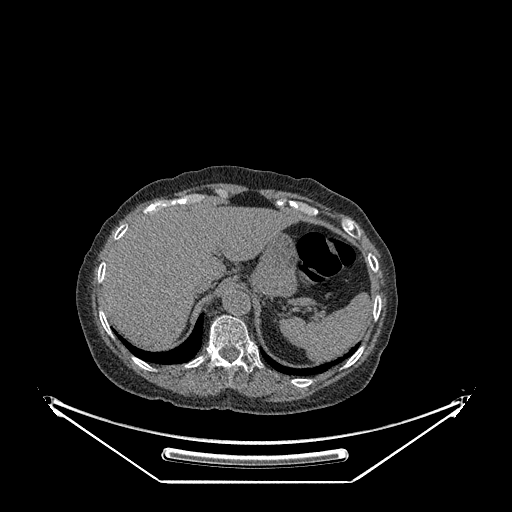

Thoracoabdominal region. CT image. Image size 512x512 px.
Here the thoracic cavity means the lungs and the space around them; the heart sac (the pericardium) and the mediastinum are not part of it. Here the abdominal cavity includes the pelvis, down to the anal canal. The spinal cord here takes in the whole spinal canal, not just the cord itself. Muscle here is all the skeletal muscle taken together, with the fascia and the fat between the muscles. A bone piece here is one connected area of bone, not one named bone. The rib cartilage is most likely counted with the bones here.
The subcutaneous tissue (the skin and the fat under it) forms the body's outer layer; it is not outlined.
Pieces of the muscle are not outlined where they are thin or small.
The thoracic cavity appears in 2 outlined pieces: piece 1: [[201,313],[203,313],[203,333],[205,334],[207,332],[206,342],[203,344],[197,355],[182,363],[172,363],[171,364],[149,363],[133,354],[117,338],[113,331],[114,330],[130,344],[140,350],[143,350],[146,352],[167,352],[179,346],[188,338]]; piece 2: [[360,342],[361,343],[356,350],[344,361],[334,365],[326,371],[317,373],[311,376],[294,376],[274,369],[264,361],[261,357],[259,349],[259,347],[262,348],[273,360],[283,366],[296,369],[302,369],[303,368],[313,368],[336,360],[342,357],[352,347]]. The spinal cord is outlined by [[231,346],[232,346],[233,347],[234,347],[236,349],[237,349],[239,351],[239,354],[237,356],[237,357],[235,359],[234,359],[232,361],[229,361],[228,360],[227,360],[225,358],[224,358],[220,354],[220,351],[224,347],[230,347]]. The bones appear in 13 outlined pieces: piece 1: [[222,314],[235,316],[246,324],[250,339],[257,344],[264,364],[263,368],[255,366],[251,372],[246,372],[239,366],[232,372],[233,388],[226,386],[229,373],[221,366],[215,366],[210,371],[205,362],[196,367],[182,366],[183,363],[205,352],[209,326]], around a hole outlined by [[231,346],[232,346],[233,347],[234,347],[236,349],[237,349],[239,351],[239,354],[237,356],[237,357],[235,359],[234,359],[232,361],[229,361],[228,360],[227,360],[225,358],[224,358],[220,354],[220,351],[224,347],[230,347]]; piece 2: [[191,193],[200,193],[206,195],[208,197],[201,201],[194,202],[193,203],[177,203],[173,205],[169,205],[165,207],[162,207],[148,213],[143,213],[142,212],[142,210],[146,206],[158,200],[170,199],[171,198],[179,198],[182,197],[184,195],[190,194]]; piece 3: [[278,199],[287,199],[288,200],[290,199],[291,200],[296,200],[297,201],[305,202],[309,205],[317,208],[319,212],[318,214],[315,216],[310,216],[309,215],[307,215],[304,213],[302,213],[294,209],[287,204],[285,204],[283,206],[279,207],[274,203]]; piece 4: [[342,218],[348,218],[349,219],[351,219],[352,220],[355,221],[355,222],[358,225],[358,226],[360,228],[360,230],[361,231],[361,236],[358,239],[356,239],[355,238],[352,237],[350,235],[349,235],[342,228],[342,227],[340,225],[340,221]]; piece 5: [[361,344],[364,344],[365,345],[365,347],[364,348],[361,355],[358,358],[358,359],[354,363],[353,363],[347,368],[345,368],[342,370],[340,370],[339,369],[339,368],[346,361],[346,360],[348,358],[349,358],[357,350],[357,349],[360,346],[360,345]]; piece 6: [[99,308],[101,308],[103,310],[103,311],[106,316],[107,321],[108,322],[113,333],[116,337],[116,338],[114,340],[113,339],[112,339],[106,332],[106,331],[104,329],[104,328],[100,321],[100,319],[99,318],[99,315],[98,314],[98,310],[99,309]]; piece 7: [[295,377],[310,377],[311,378],[312,378],[314,380],[314,381],[311,384],[310,384],[309,385],[308,385],[307,386],[305,386],[304,387],[298,387],[297,386],[295,386],[293,384],[292,384],[290,382],[290,380],[292,378],[294,378]]; piece 8: [[378,293],[380,295],[380,296],[381,297],[381,309],[380,310],[380,313],[379,314],[379,316],[378,317],[377,320],[376,321],[374,321],[373,320],[373,316],[372,315],[372,312],[373,311],[373,304],[374,303],[374,296],[376,294],[377,294]]; piece 9: [[132,354],[133,355],[134,355],[136,357],[139,358],[141,360],[142,360],[145,362],[147,362],[153,367],[156,368],[157,369],[157,371],[156,371],[155,372],[153,372],[152,371],[149,371],[148,370],[145,370],[144,369],[142,369],[131,359],[131,355]]; piece 10: [[368,252],[371,252],[376,257],[376,258],[377,259],[377,261],[378,262],[378,271],[377,272],[373,272],[372,271],[372,270],[370,268],[370,266],[368,264],[368,262],[367,261],[367,260],[366,259],[366,255],[367,254],[367,253]]; piece 11: [[102,261],[104,261],[106,263],[106,267],[105,268],[105,275],[104,276],[104,279],[103,280],[103,282],[102,283],[98,283],[98,281],[97,280],[97,270],[98,269],[98,266],[99,265],[99,264],[100,263],[100,262],[101,262]]; piece 12: [[125,222],[126,222],[128,224],[128,227],[127,228],[126,231],[123,234],[123,235],[119,239],[118,239],[117,240],[115,240],[113,238],[113,236],[114,235],[114,233],[115,232],[116,229],[120,225],[120,224],[121,224],[122,223],[124,223]]; piece 13: [[215,188],[222,188],[223,189],[224,189],[225,190],[226,190],[227,191],[227,193],[228,194],[228,196],[227,197],[226,197],[225,198],[220,198],[214,192],[214,189]]. The muscle is outlined by [[217,182],[297,193],[353,219],[342,217],[338,223],[317,217],[319,209],[305,201],[278,198],[273,202],[254,191],[229,196],[222,187],[213,189],[219,198],[191,192],[153,201],[131,223],[119,224],[112,236],[116,241],[107,261],[102,260],[97,266],[96,280],[101,284],[103,302],[103,309],[97,310],[99,321],[108,336],[117,339],[131,353],[130,359],[145,371],[158,371],[151,364],[181,364],[184,369],[190,369],[205,363],[209,372],[215,367],[226,370],[225,386],[233,389],[233,372],[241,367],[251,373],[255,367],[263,369],[264,362],[280,373],[293,376],[289,382],[295,387],[307,387],[315,381],[312,376],[342,362],[340,371],[354,364],[366,347],[362,341],[372,318],[376,322],[381,313],[382,297],[378,292],[374,295],[372,285],[372,272],[379,271],[379,262],[371,251],[366,254],[356,240],[362,236],[356,221],[381,255],[387,291],[383,327],[365,361],[308,397],[271,402],[235,390],[206,397],[184,396],[137,374],[104,343],[98,332],[91,307],[92,273],[97,254],[114,226],[146,200]]. The mediastinum is outlined by [[228,289],[240,290],[249,297],[254,315],[254,328],[257,335],[258,340],[257,343],[255,343],[251,339],[249,328],[247,324],[241,318],[229,313],[222,313],[216,316],[209,324],[207,331],[204,333],[204,310],[206,306],[214,298],[219,296],[224,290]]. The torso is outlined by [[212,165],[237,165],[296,178],[313,178],[354,201],[385,242],[395,267],[397,315],[375,372],[359,392],[330,406],[283,415],[259,415],[216,408],[194,409],[130,393],[111,382],[97,367],[84,338],[75,304],[78,271],[94,236],[102,223],[144,185]]. The abdominal cavity is outlined by [[244,192],[257,193],[279,208],[287,206],[339,224],[365,254],[372,278],[372,317],[361,342],[342,356],[313,367],[279,363],[258,345],[252,301],[235,288],[214,297],[187,338],[167,351],[140,349],[112,329],[102,284],[106,262],[129,225],[162,208]].